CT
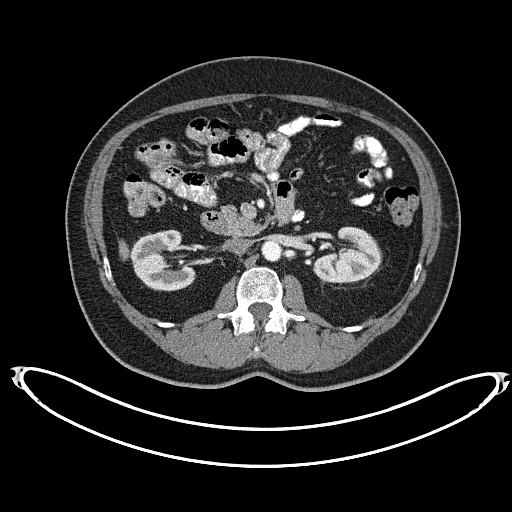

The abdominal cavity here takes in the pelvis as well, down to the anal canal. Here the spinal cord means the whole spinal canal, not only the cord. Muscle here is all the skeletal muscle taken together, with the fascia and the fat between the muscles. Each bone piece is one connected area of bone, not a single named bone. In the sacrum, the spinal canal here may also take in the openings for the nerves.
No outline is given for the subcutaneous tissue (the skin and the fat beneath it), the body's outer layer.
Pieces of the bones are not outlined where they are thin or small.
The torso is outlined by [[301,391],[331,390],[383,375],[425,338],[443,307],[457,258],[461,215],[455,182],[441,151],[419,122],[385,93],[351,74],[277,56],[233,56],[195,64],[127,101],[80,155],[65,204],[76,297],[100,344],[133,371],[195,388],[220,388],[262,376]]. The spinal cord is outlined by [[256,320],[262,320],[263,319],[266,319],[267,318],[267,315],[271,309],[271,307],[270,306],[270,305],[269,305],[266,303],[254,303],[253,304],[252,304],[251,305],[250,305],[250,306],[249,307],[249,311],[254,316],[254,317]]. The bones appear in 4 outlined pieces: piece 1: [[235,335],[255,330],[285,334],[286,324],[290,319],[296,321],[303,321],[305,319],[304,316],[294,314],[282,305],[283,285],[277,273],[271,268],[256,266],[242,272],[236,285],[236,307],[232,311],[220,312],[217,314],[219,318],[227,317],[230,319]] with a hole at [[256,320],[262,320],[263,319],[266,319],[267,318],[267,315],[271,309],[271,307],[270,306],[270,305],[269,305],[266,303],[254,303],[253,304],[252,304],[251,305],[250,305],[250,306],[249,307],[249,311],[254,316],[254,317]]; piece 2: [[112,283],[113,283],[113,278],[112,277],[112,274],[111,273],[111,269],[109,265],[109,261],[108,260],[108,258],[107,256],[105,255],[103,256],[102,258],[103,260],[103,267],[105,271],[105,275],[106,276],[106,278],[108,280],[108,281]]; piece 3: [[348,332],[355,332],[356,331],[358,331],[359,330],[360,330],[363,327],[363,326],[364,325],[363,324],[357,324],[356,325],[353,325],[352,326],[346,326],[345,327],[342,327],[341,328],[341,329],[342,330],[343,330],[344,331],[347,331]]; piece 4: [[413,283],[415,283],[416,282],[416,281],[418,279],[418,277],[420,273],[420,270],[422,266],[421,265],[421,262],[420,261],[418,261],[417,262],[415,266],[415,268],[414,269],[414,273],[413,274],[413,277],[412,278],[412,281]]. The abdominal cavity is outlined by [[340,326],[386,312],[406,290],[417,261],[421,196],[411,161],[393,136],[349,113],[256,97],[169,114],[123,141],[104,185],[104,236],[113,277],[132,305],[148,316],[181,322],[213,307],[231,277],[266,265],[281,279],[286,273],[295,275],[308,309]]. The muscle is outlined by [[299,373],[326,371],[338,367],[349,361],[377,336],[393,327],[404,315],[409,304],[419,292],[425,280],[426,267],[431,262],[437,249],[440,236],[440,229],[442,224],[441,200],[437,183],[431,165],[423,151],[403,130],[369,111],[322,97],[299,94],[280,94],[266,92],[230,93],[184,101],[158,109],[148,114],[142,119],[136,120],[126,125],[116,132],[104,145],[92,166],[84,196],[83,222],[90,254],[98,266],[99,277],[102,285],[110,294],[112,300],[118,306],[124,316],[130,323],[143,332],[162,350],[172,357],[186,364],[192,364],[196,366],[212,369],[220,368],[232,369],[241,366],[247,361],[252,359],[263,359],[272,367],[277,369],[287,372],[296,371]] with holes at [[235,335],[285,334],[290,319],[305,319],[282,305],[286,273],[300,281],[308,309],[348,332],[416,282],[421,196],[407,153],[388,132],[349,113],[256,97],[169,114],[123,141],[104,185],[106,278],[168,328],[213,307],[236,276],[237,305],[217,314]] and at [[255,357],[256,357],[257,356],[261,356],[261,355],[262,354],[261,353],[261,352],[260,351],[260,350],[259,349],[259,347],[257,345],[256,345],[255,346],[254,346],[254,347],[253,348],[253,351],[254,352],[254,356]].